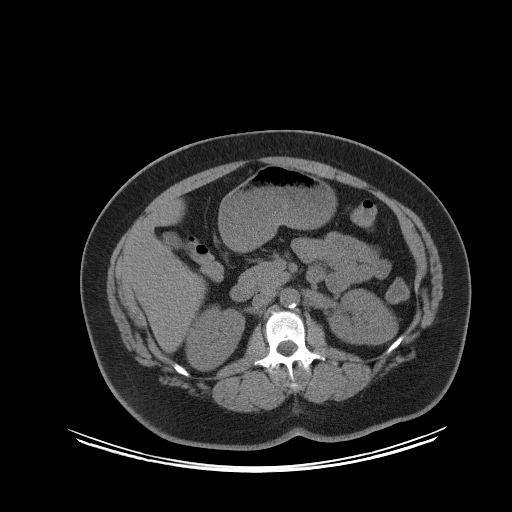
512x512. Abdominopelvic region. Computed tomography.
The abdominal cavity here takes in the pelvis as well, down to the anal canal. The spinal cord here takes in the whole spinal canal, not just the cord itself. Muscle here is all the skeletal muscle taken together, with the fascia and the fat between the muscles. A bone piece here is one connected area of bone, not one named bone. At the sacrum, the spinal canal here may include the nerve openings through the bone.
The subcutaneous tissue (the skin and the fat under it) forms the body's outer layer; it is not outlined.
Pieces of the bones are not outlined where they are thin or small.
The torso is outlined by (273, 129) (317, 131) (363, 143) (398, 161) (435, 193) (457, 227) (469, 264) (471, 305) (461, 358) (451, 384) (431, 409) (355, 439) (321, 442) (297, 435) (278, 445) (252, 451) (174, 443) (138, 422) (101, 374) (80, 300) (84, 245) (114, 193) (155, 159) (203, 139). The spinal cord is outlined by (285, 341) (291, 341) (292, 342) (293, 342) (296, 345) (296, 349) (291, 354) (290, 354) (289, 355) (284, 355) (283, 354) (282, 354) (281, 353) (280, 353) (278, 351) (278, 350) (277, 349) (278, 348) (278, 346) (280, 344) (280, 343) (281, 343) (282, 342) (284, 342). The bones appear in 3 outlined pieces: piece 1: (279, 310) (288, 310) (301, 317) (307, 348) (325, 357) (324, 360) (314, 359) (309, 371) (296, 362) (293, 364) (297, 384) (295, 389) (290, 387) (292, 381) (285, 365) (280, 364) (271, 372) (263, 366) (254, 365) (255, 360) (266, 356) (269, 351) (264, 324) (272, 311); inner edge: (285, 341) (291, 341) (292, 342) (293, 342) (296, 345) (296, 349) (291, 354) (290, 354) (289, 355) (284, 355) (283, 354) (282, 354) (281, 353) (280, 353) (278, 351) (278, 350) (277, 349) (278, 348) (278, 346) (280, 344) (280, 343) (281, 343) (282, 342) (284, 342); piece 2: (401, 334) (403, 334) (403, 338) (402, 339) (402, 340) (400, 342) (400, 343) (399, 344) (399, 345) (396, 348) (395, 348) (392, 351) (391, 351) (388, 354) (385, 354) (385, 351) (391, 345) (391, 344); piece 3: (173, 362) (175, 362) (176, 363) (177, 363) (179, 365) (180, 365) (182, 367) (183, 367) (190, 374) (190, 375) (189, 376) (185, 376) (184, 375) (183, 375) (182, 374) (180, 374) (179, 373) (178, 373) (175, 370) (175, 369) (174, 368) (174, 367) (173, 366). The abdominal cavity is outlined by (252, 162) (287, 165) (366, 190) (395, 214) (415, 264) (417, 305) (384, 351) (364, 359) (333, 347) (320, 323) (309, 316) (305, 325) (288, 309) (272, 310) (263, 327) (260, 322) (252, 330) (243, 355) (212, 376) (190, 373) (156, 345) (121, 258) (126, 242) (168, 200). The muscle is outlined by (266, 156) (298, 157) (328, 164) (366, 181) (412, 210) (423, 222) (424, 226) (429, 232) (437, 248) (442, 266) (443, 295) (439, 302) (433, 323) (422, 332) (413, 344) (416, 353) (415, 357) (394, 367) (381, 378) (375, 379) (374, 378) (367, 386) (353, 396) (342, 401) (326, 401) (318, 404) (308, 401) (299, 395) (295, 399) (291, 395) (279, 406) (270, 410) (262, 409) (259, 412) (237, 412) (219, 406) (209, 397) (200, 398) (190, 395) (186, 389) (178, 386) (170, 386) (162, 384) (158, 380) (160, 372) (156, 367) (144, 366) (134, 359) (133, 357) (134, 353) (128, 350) (122, 342) (119, 331) (109, 309) (106, 293) (107, 270) (110, 263) (112, 252) (120, 238) (132, 225) (146, 206) (168, 187) (193, 174) (221, 164), around a hole outlined by (252, 162) (366, 190) (395, 214) (419, 286) (413, 319) (388, 354) (333, 347) (309, 316) (306, 346) (325, 359) (309, 371) (295, 362) (293, 389) (285, 365) (254, 365) (269, 351) (260, 322) (243, 355) (212, 376) (178, 373) (156, 345) (121, 258) (126, 242) (168, 200).